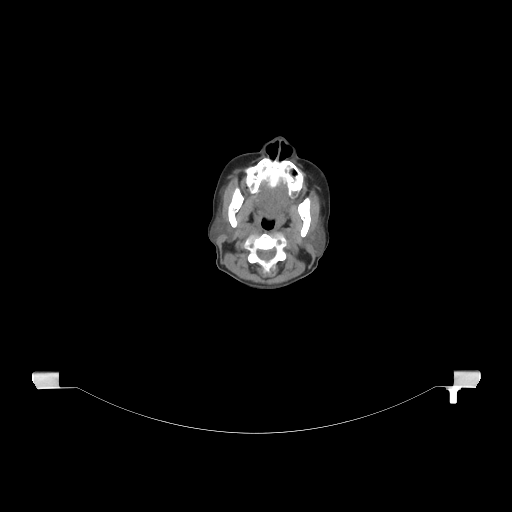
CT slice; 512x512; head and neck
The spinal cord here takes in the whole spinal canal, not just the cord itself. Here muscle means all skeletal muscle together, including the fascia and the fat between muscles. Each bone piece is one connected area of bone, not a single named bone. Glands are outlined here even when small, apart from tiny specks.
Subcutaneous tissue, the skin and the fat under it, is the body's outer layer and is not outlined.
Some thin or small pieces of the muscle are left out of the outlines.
The bones appear in 4 outlined pieces: piece 1: 276,156 280,159 290,160 303,172 304,177 301,189 298,192 293,192 291,197 288,195 286,185 282,182 272,188 268,186 265,181 262,181 259,190 256,193 251,193 246,184 245,168 254,165 264,157 274,158; piece 2: 277,232 280,232 286,239 286,245 283,248 286,256 284,260 278,261 271,268 269,273 264,273 262,267 258,263 256,262 250,263 248,261 247,257 249,251 245,248 244,242 250,235 258,236 263,233 273,235; inner edge: 272,249 274,249 275,251 275,253 273,257 272,257 268,260 265,260 264,259 262,259 260,258 257,252 259,250 263,250 264,251 266,251 267,250 271,250; piece 3: 237,186 239,188 239,189 243,196 243,202 242,203 241,206 235,214 235,217 236,218 236,220 237,221 237,225 235,227 232,227 228,220 228,206 231,201 231,198 232,197 233,192 234,191 235,188; piece 4: 306,197 308,197 310,200 310,208 309,209 310,210 310,217 311,218 311,220 310,221 309,229 306,235 304,237 302,237 300,234 300,231 301,230 303,222 298,213 298,211 297,210 297,206 298,204 300,203. The parotid glands appear in 2 outlined pieces: piece 1: 219,206 220,208 220,212 223,217 223,219 229,223 230,226 234,229 234,232 233,234 229,236 224,236 222,235 218,239 215,239 211,233 211,228 212,227 212,224 217,215 217,213 218,212 218,207; piece 2: 322,215 323,217 323,219 322,220 322,225 323,226 323,230 325,235 325,239 324,240 324,243 322,247 318,252 312,249 309,243 308,237 310,234 310,232 312,228 315,225 316,222 319,220 320,216. The head and neck is outlined by 277,135 285,137 295,147 300,157 310,160 324,172 330,189 330,215 328,221 330,240 312,273 281,288 257,289 239,283 217,268 215,247 208,238 207,226 212,213 215,186 224,165 236,155 258,151 263,143 with holes at 282,144 284,144 285,145 286,145 288,147 289,147 290,148 290,152 289,153 289,154 288,155 287,155 284,158 280,158 280,155 281,154 281,152 282,151 and at 274,143 277,143 277,147 276,148 276,154 275,155 275,156 274,157 271,157 270,156 270,154 269,153 269,152 268,151 268,150 267,149 268,148 268,147 269,146 270,146 272,144 273,144 and at 263,220 265,220 266,221 267,221 268,222 272,222 273,223 273,225 271,227 264,227 264,226 263,225 262,225 262,221. The muscle is outlined by 262,155 266,156 243,170 245,184 251,194 260,190 262,182 272,189 282,183 291,198 293,193 298,193 305,174 291,158 299,162 321,187 321,215 307,237 311,249 317,252 314,261 299,275 272,284 245,280 230,271 220,262 216,241 222,236 234,234 234,228 238,225 236,214 244,202 237,185 227,206 227,220 224,219 219,204 226,176 234,168, around holes outlined by 277,232 280,232 286,239 286,245 283,248 286,256 284,260 278,261 271,268 269,273 264,273 262,267 258,263 256,262 250,263 248,261 247,257 249,251 245,248 244,242 250,235 258,236 263,233 273,235 and by 306,197 308,197 310,200 310,208 309,209 310,210 310,217 311,218 311,220 310,221 309,229 306,235 304,237 302,237 300,234 300,231 301,230 303,222 298,213 298,211 297,210 297,206 298,204 300,203 and by 263,220 265,220 266,221 267,221 268,222 272,222 273,223 273,225 271,227 264,227 264,226 263,225 262,225 262,221. The spinal cord is outlined by 272,249 274,249 275,251 275,253 273,257 272,257 268,260 265,260 264,259 262,259 260,258 257,252 259,250 263,250 264,251 266,251 267,250 271,250.